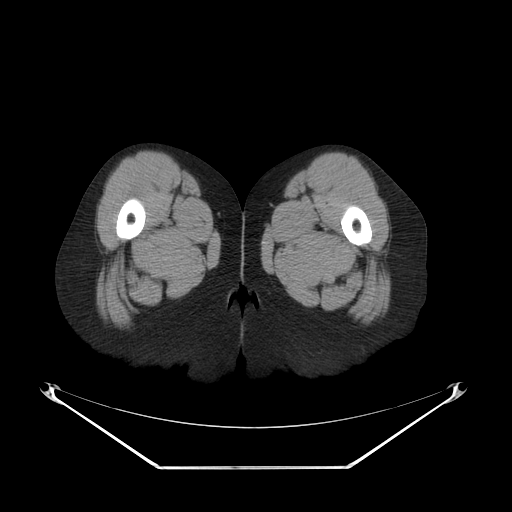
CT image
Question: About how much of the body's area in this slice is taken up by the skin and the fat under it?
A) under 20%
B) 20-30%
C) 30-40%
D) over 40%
Answer: D) over 40%
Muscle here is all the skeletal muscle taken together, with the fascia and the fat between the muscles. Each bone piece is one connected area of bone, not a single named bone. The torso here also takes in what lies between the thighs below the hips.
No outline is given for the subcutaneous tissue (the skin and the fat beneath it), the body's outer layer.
{"muscle":[{"outer":[[328,151],[342,151],[356,156],[373,177],[378,194],[387,206],[391,238],[385,263],[391,281],[390,302],[385,316],[375,326],[366,328],[337,326],[323,321],[308,312],[292,298],[277,291],[262,267],[261,214],[268,195],[280,180],[308,164],[319,154]],"hole":[[349,205],[356,205],[357,206],[359,206],[365,212],[369,220],[370,226],[371,227],[371,231],[372,232],[372,236],[371,237],[371,240],[366,244],[364,244],[360,246],[353,244],[347,239],[343,233],[343,231],[341,228],[340,220],[345,209]]},{"outer":[[144,149],[163,151],[178,158],[188,169],[212,184],[220,194],[224,203],[224,223],[219,262],[214,278],[208,279],[164,308],[136,316],[132,330],[125,333],[112,333],[105,329],[95,312],[96,278],[103,257],[96,241],[96,206],[103,183],[121,159]],"hole":[[130,198],[136,198],[142,203],[145,210],[145,222],[144,223],[144,225],[143,226],[142,230],[136,236],[133,237],[131,239],[123,239],[122,237],[120,237],[116,234],[116,224],[117,223],[117,217],[120,211],[120,208],[122,204],[126,200]]}],"bones":[[[349,205],[356,205],[357,206],[359,206],[365,212],[369,220],[370,226],[371,227],[371,231],[372,232],[372,236],[371,237],[371,240],[366,244],[364,244],[360,246],[353,244],[347,239],[343,233],[343,231],[341,228],[340,220],[345,209]],[[130,198],[136,198],[142,203],[145,210],[145,222],[144,223],[144,225],[143,226],[142,230],[136,236],[133,237],[131,239],[123,239],[122,237],[120,237],[116,234],[116,224],[117,223],[117,217],[120,211],[120,208],[122,204],[126,200]]],"right_leg":[[[144,141],[170,144],[198,156],[227,179],[240,206],[244,206],[243,283],[227,296],[229,314],[243,322],[241,354],[234,375],[216,385],[189,382],[183,367],[166,372],[135,370],[98,354],[74,333],[56,299],[56,256],[86,188],[110,156],[130,144]]],"left_leg":[[[327,143],[348,145],[365,153],[420,210],[427,227],[426,300],[411,333],[381,349],[367,363],[344,374],[308,380],[276,373],[263,382],[252,382],[244,374],[241,336],[245,320],[261,306],[261,299],[244,283],[245,199],[268,169],[304,149]]],"torso":[{"outer":[[243,284],[244,284],[249,290],[252,290],[255,292],[260,299],[260,306],[252,314],[248,316],[244,320],[244,321],[242,321],[233,317],[230,314],[229,307],[228,306],[228,296],[230,292],[231,292],[232,290],[235,289],[237,287],[239,287]],"hole":[[241,287],[243,287],[245,289],[245,291],[246,292],[246,294],[247,295],[247,298],[246,299],[246,300],[244,302],[244,303],[242,306],[241,306],[241,305],[240,304],[240,302],[238,299],[238,294],[239,293],[239,291],[240,290],[240,288]]}]}